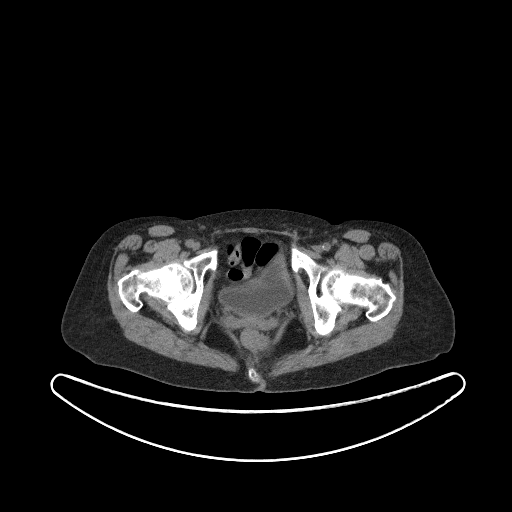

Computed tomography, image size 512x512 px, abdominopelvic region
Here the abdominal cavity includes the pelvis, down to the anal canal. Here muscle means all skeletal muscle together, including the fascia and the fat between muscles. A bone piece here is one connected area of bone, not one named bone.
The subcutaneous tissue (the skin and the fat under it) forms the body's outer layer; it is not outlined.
{"torso":[[[245,208],[298,211],[333,224],[351,219],[379,220],[407,230],[426,252],[454,310],[456,332],[452,348],[431,361],[387,369],[340,386],[241,393],[172,386],[128,370],[93,363],[68,347],[60,332],[61,316],[89,249],[106,229],[140,216],[191,219]]],"abdominal_cavity":[[[236,232],[256,234],[271,233],[288,237],[290,240],[289,265],[295,277],[297,305],[281,325],[277,335],[273,338],[270,345],[264,350],[250,350],[245,347],[246,346],[212,314],[210,308],[213,300],[214,272],[219,264],[219,246],[216,241],[224,234]]],"muscle":[{"outer":[[154,224],[169,225],[205,239],[208,239],[216,229],[233,227],[290,229],[295,230],[302,237],[316,237],[337,229],[353,229],[356,227],[384,236],[400,249],[403,261],[403,311],[394,335],[386,342],[371,349],[319,366],[267,378],[264,384],[259,382],[261,376],[251,365],[247,367],[248,379],[244,374],[243,367],[237,372],[230,372],[178,361],[142,347],[124,336],[114,318],[108,299],[107,277],[115,246],[125,236]],"holes":[[[236,232],[282,235],[329,268],[380,278],[395,295],[392,307],[370,321],[364,307],[344,303],[333,330],[320,335],[300,268],[294,310],[267,348],[250,350],[212,314],[208,269],[194,329],[185,331],[146,293],[133,312],[118,294],[122,276],[182,262]],[[293,321],[298,321],[303,328],[304,330],[304,335],[305,336],[305,344],[302,347],[300,347],[299,348],[293,348],[288,351],[285,351],[278,354],[273,354],[273,353],[276,350],[276,346],[280,342],[283,335],[287,329],[287,327],[290,324],[290,323]],[[214,324],[215,324],[221,330],[221,331],[229,338],[229,339],[233,343],[233,347],[235,349],[235,353],[232,353],[230,351],[227,351],[226,350],[224,350],[223,349],[218,348],[215,346],[213,346],[207,343],[206,341],[207,339],[207,334],[211,326]]]}],"bones":[[[292,244],[329,268],[338,266],[352,274],[380,278],[389,284],[395,295],[391,309],[380,319],[370,321],[365,316],[364,307],[344,303],[336,316],[333,330],[328,335],[318,334],[314,327],[308,294],[307,273],[302,268],[295,273],[290,265]],[[214,248],[218,249],[218,264],[215,271],[208,269],[204,274],[203,291],[194,329],[185,331],[167,309],[166,303],[160,298],[142,293],[140,297],[143,305],[135,312],[129,310],[120,299],[117,281],[134,268],[146,271],[173,261],[182,262]],[[249,366],[251,366],[252,367],[253,367],[254,368],[254,369],[259,374],[259,375],[260,376],[260,377],[259,378],[259,380],[258,381],[258,382],[253,382],[252,381],[251,381],[249,379],[249,378],[248,377],[248,367]]]}